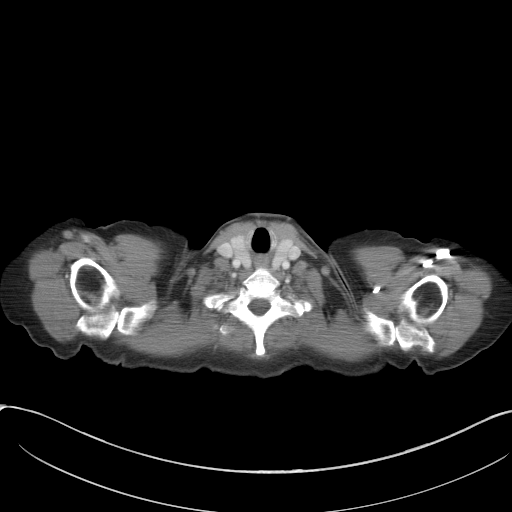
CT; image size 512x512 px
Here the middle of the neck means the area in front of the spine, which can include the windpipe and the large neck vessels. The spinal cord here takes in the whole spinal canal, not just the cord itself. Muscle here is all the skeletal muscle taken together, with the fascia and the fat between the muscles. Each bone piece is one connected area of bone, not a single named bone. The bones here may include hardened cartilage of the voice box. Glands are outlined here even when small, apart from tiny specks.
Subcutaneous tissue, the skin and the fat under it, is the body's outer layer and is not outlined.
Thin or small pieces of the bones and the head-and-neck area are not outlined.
{"left_arm":[[[436,236],[452,239],[461,243],[489,258],[511,276],[511,324],[492,345],[482,350],[473,358],[457,367],[428,376],[422,372],[416,363],[413,362],[410,365],[409,364],[397,343],[392,332],[382,292],[412,238],[414,237],[423,242],[427,242],[432,237]]],"muscle":[{"outer":[[257,218],[292,224],[318,252],[352,304],[360,299],[362,281],[350,255],[352,248],[449,247],[474,259],[490,273],[493,286],[483,304],[482,321],[460,348],[439,359],[385,352],[348,362],[303,349],[268,360],[229,352],[174,358],[154,357],[83,337],[59,342],[47,332],[33,309],[33,283],[27,261],[34,250],[63,230],[79,228],[99,236],[133,233],[158,240],[166,248],[163,278],[170,283],[221,230],[234,222]],"holes":[[[256,226],[265,226],[300,248],[300,255],[287,269],[271,273],[280,282],[277,290],[284,297],[290,294],[312,304],[301,316],[281,317],[267,328],[261,356],[255,353],[255,337],[246,324],[202,302],[207,295],[236,290],[252,272],[234,267],[216,250]],[[82,257],[93,259],[113,277],[120,294],[113,298],[111,303],[118,311],[125,306],[140,306],[156,300],[157,307],[152,316],[140,325],[134,335],[122,334],[115,327],[108,338],[102,339],[86,335],[75,327],[84,311],[72,294],[69,275],[70,265]],[[429,274],[436,274],[448,286],[447,301],[441,314],[427,326],[435,342],[434,351],[430,353],[416,346],[403,351],[397,341],[390,346],[380,345],[374,336],[364,328],[366,319],[363,309],[389,319],[395,325],[398,324],[405,315],[397,308],[400,296]],[[221,324],[227,324],[228,325],[229,325],[231,327],[231,329],[230,330],[230,331],[227,334],[226,334],[225,335],[224,335],[223,334],[222,334],[219,331],[219,330],[218,329],[218,326],[219,326]]]}],"bones":[[[82,257],[93,259],[113,277],[120,294],[113,298],[111,303],[118,311],[125,306],[140,306],[156,300],[157,307],[152,316],[140,325],[134,335],[122,334],[115,327],[108,338],[102,339],[86,335],[75,327],[84,311],[72,294],[69,275],[70,265]],[[429,274],[436,274],[448,286],[447,301],[441,314],[427,326],[435,342],[434,351],[430,353],[416,346],[403,351],[397,341],[390,346],[380,345],[374,336],[364,328],[366,319],[363,309],[389,319],[395,325],[398,324],[405,315],[397,308],[400,296]],{"outer":[[258,267],[269,270],[280,282],[277,290],[284,297],[290,294],[312,304],[312,309],[304,312],[301,316],[281,317],[267,328],[263,337],[265,353],[261,356],[255,353],[255,337],[246,324],[230,313],[209,308],[202,302],[207,295],[236,290],[242,281]],"hole":[[257,298],[261,298],[262,299],[265,299],[268,302],[269,304],[269,307],[267,309],[267,310],[263,314],[261,314],[260,315],[257,315],[255,314],[249,308],[248,306],[249,304],[252,301],[252,300],[254,299],[256,299]]}],"right_arm":[[[71,216],[83,219],[85,224],[90,227],[104,225],[115,283],[118,314],[111,337],[94,355],[89,348],[83,346],[73,358],[64,360],[56,357],[50,349],[35,344],[22,326],[11,323],[5,317],[0,308],[0,271],[4,264],[32,237],[52,223]]],"torso":[[[120,219],[134,219],[147,223],[167,225],[185,233],[189,243],[192,246],[199,248],[204,244],[195,274],[195,284],[205,370],[200,370],[189,374],[180,374],[147,368],[130,370],[119,366],[106,364],[95,356],[112,337],[119,314],[116,283],[105,225]],[[365,228],[391,229],[399,232],[405,237],[412,237],[381,292],[392,335],[409,366],[403,370],[400,370],[394,367],[387,367],[383,371],[375,375],[361,378],[346,378],[339,375],[325,372],[315,372],[310,368],[302,367],[326,247],[328,243],[336,236]]],"thyroid_glands":[[[240,234],[245,234],[245,245],[249,253],[249,255],[251,258],[251,264],[249,267],[245,267],[242,264],[240,260],[238,259],[238,258],[236,256],[234,252],[234,250],[232,248],[232,246],[229,242],[232,237],[236,235],[239,235]],[[278,237],[279,238],[287,238],[291,240],[293,242],[293,244],[295,245],[292,246],[289,249],[288,253],[285,256],[283,261],[281,262],[277,269],[275,269],[274,270],[272,269],[272,265],[271,264],[272,263],[272,259],[276,251],[279,247],[279,239]]],"head_and_neck":[[[249,211],[265,211],[280,213],[290,216],[301,224],[308,234],[321,248],[325,248],[317,283],[302,365],[301,367],[283,373],[277,377],[266,379],[260,379],[255,377],[228,376],[206,370],[196,284],[196,274],[205,243],[218,226],[222,223],[239,214]]],"spinal_cord":[[[257,298],[261,298],[262,299],[265,299],[268,302],[269,304],[269,307],[267,309],[267,310],[263,314],[261,314],[260,315],[257,315],[255,314],[249,308],[248,306],[249,304],[252,301],[252,300],[254,299],[256,299]]],"middle_of_the_neck":[[[256,226],[269,228],[278,239],[278,247],[270,264],[272,270],[278,269],[292,247],[300,248],[300,255],[287,269],[271,272],[258,266],[251,271],[234,267],[229,259],[217,254],[217,248],[228,242],[241,264],[249,268],[252,258],[246,245],[246,233]]]}